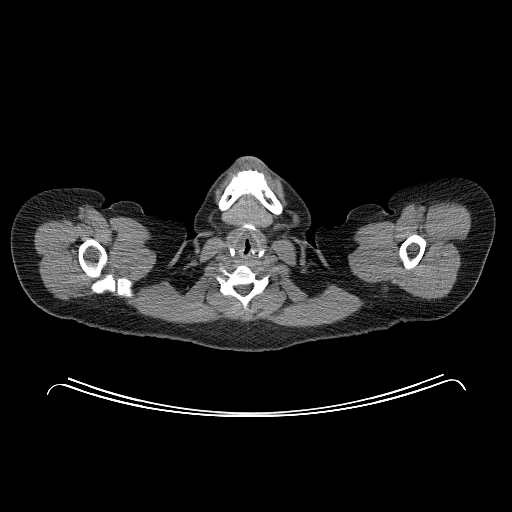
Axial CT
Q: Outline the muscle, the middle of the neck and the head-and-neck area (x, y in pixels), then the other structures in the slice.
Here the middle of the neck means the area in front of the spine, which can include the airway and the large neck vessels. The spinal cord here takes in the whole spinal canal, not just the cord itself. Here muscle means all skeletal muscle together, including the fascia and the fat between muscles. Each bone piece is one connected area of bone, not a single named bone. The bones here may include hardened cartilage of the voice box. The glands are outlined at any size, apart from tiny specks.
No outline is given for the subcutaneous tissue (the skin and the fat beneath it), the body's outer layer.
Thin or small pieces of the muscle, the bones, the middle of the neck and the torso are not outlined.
A: {"muscle":[{"outer":[[243,160],[259,161],[279,180],[300,219],[292,233],[308,256],[362,294],[368,286],[347,264],[357,227],[394,222],[409,202],[459,199],[472,224],[449,293],[426,300],[392,289],[320,326],[229,319],[178,324],[102,294],[130,299],[135,281],[103,274],[107,251],[89,236],[78,245],[77,259],[94,279],[95,295],[55,297],[38,271],[38,223],[85,203],[134,218],[153,234],[157,267],[164,270],[208,228],[216,188]],"holes":[[[246,230],[255,234],[260,244],[274,253],[275,261],[271,265],[244,264],[253,271],[260,267],[265,273],[271,270],[267,285],[251,298],[247,305],[249,310],[242,314],[242,303],[234,296],[224,295],[220,291],[216,276],[221,273],[221,263],[215,256]],[[246,169],[256,169],[263,173],[268,186],[282,205],[282,212],[280,214],[276,214],[269,210],[257,198],[250,193],[242,194],[227,209],[225,210],[220,210],[219,209],[217,204],[218,201],[220,199],[225,188],[229,183],[232,175],[240,170],[245,170]],[[414,233],[416,233],[422,236],[426,241],[426,245],[425,246],[425,249],[423,252],[423,254],[418,263],[413,268],[409,270],[406,270],[404,268],[398,255],[398,253],[399,252],[399,248],[400,247],[400,245],[406,239],[406,238],[411,234],[413,234]],[[242,223],[251,223],[252,224],[253,224],[256,227],[256,228],[257,229],[257,231],[256,231],[255,230],[253,230],[252,229],[249,229],[248,228],[244,228],[243,227],[242,227]],[[275,222],[276,222],[277,222],[278,222],[279,223],[280,224],[281,225],[281,226],[281,227],[281,228],[280,229],[279,230],[278,231],[277,231],[276,231],[275,231],[274,230],[273,229],[272,228],[272,227],[272,226],[272,225],[273,224],[274,223]]]}],"middle_of_the_neck":[[[246,230],[255,234],[255,240],[258,247],[257,255],[260,258],[265,252],[263,246],[274,253],[275,261],[271,265],[256,265],[247,263],[222,264],[215,259],[215,256],[226,248],[228,248],[230,256],[233,257],[235,251],[232,245],[230,244],[239,234]]],"head_and_neck":[[[244,156],[255,157],[264,162],[284,178],[303,199],[312,222],[311,228],[305,234],[314,248],[316,257],[312,292],[304,310],[287,336],[260,351],[245,351],[206,344],[188,300],[187,251],[190,238],[196,234],[193,228],[194,216],[216,178],[234,160]]],"left_arm":[[[442,176],[460,176],[468,178],[479,184],[487,192],[495,210],[495,232],[483,269],[471,294],[455,311],[449,315],[437,320],[430,321],[402,303],[389,285],[378,236],[378,204],[389,214],[391,214],[392,210],[388,206],[388,200],[395,192],[410,185]]],"torso":[[[120,200],[131,200],[138,203],[146,214],[155,214],[164,219],[177,218],[184,223],[189,238],[186,251],[187,300],[203,340],[208,346],[244,351],[214,349],[167,338],[124,335],[90,327],[70,319],[60,318],[80,300],[107,265],[115,239],[110,205]],[[364,203],[377,204],[377,236],[391,291],[407,308],[429,321],[400,322],[389,329],[372,331],[357,336],[310,341],[279,350],[261,351],[288,336],[311,299],[317,270],[317,257],[314,247],[316,244],[314,239],[315,227],[340,224],[345,220],[350,210]]],"bones":[[[89,237],[99,242],[106,251],[107,263],[102,270],[102,274],[110,273],[115,279],[126,277],[133,280],[134,284],[132,288],[134,295],[132,297],[121,297],[108,291],[101,294],[92,292],[91,285],[95,279],[86,275],[80,266],[78,259],[78,247]],[[246,169],[256,169],[263,173],[268,186],[282,205],[282,212],[280,214],[276,214],[269,210],[257,198],[250,193],[242,194],[227,209],[225,210],[220,210],[219,209],[217,204],[218,201],[220,199],[225,188],[229,183],[232,175],[240,170],[245,170]],{"outer":[[220,264],[228,272],[232,272],[241,264],[253,271],[262,267],[267,273],[271,269],[267,285],[260,293],[251,298],[247,305],[249,310],[247,312],[241,313],[243,306],[237,298],[232,295],[224,295],[220,291],[220,285],[216,279],[216,276],[221,273]],"hole":[[248,284],[251,284],[252,285],[252,287],[251,288],[251,289],[249,291],[249,292],[247,294],[246,294],[245,295],[241,295],[239,293],[238,293],[236,291],[236,290],[234,288],[234,287],[235,286],[237,286],[238,285],[247,285]]},[[414,233],[416,233],[422,236],[426,241],[426,245],[425,246],[425,249],[423,252],[423,254],[418,263],[413,268],[409,270],[406,270],[404,268],[398,255],[398,253],[399,252],[399,248],[400,247],[400,245],[406,239],[406,238],[411,234],[413,234]]],"right_arm":[[[58,187],[83,187],[94,189],[102,193],[105,197],[102,206],[104,208],[109,206],[114,230],[114,239],[110,256],[103,270],[79,300],[64,315],[59,318],[40,309],[27,296],[16,275],[10,251],[10,231],[14,217],[19,208],[26,200],[36,193]]],"submandibular_glands":[[[275,222],[276,222],[277,222],[278,222],[279,223],[280,224],[281,225],[281,226],[281,227],[281,228],[280,229],[279,230],[278,231],[277,231],[276,231],[275,231],[274,230],[273,229],[272,228],[272,227],[272,226],[272,225],[273,224],[274,223]]],"spinal_cord":[[[248,284],[251,284],[252,285],[252,287],[251,288],[251,289],[249,291],[249,292],[247,294],[246,294],[245,295],[241,295],[239,293],[238,293],[236,291],[236,290],[234,288],[234,287],[235,286],[237,286],[238,285],[247,285]]]}